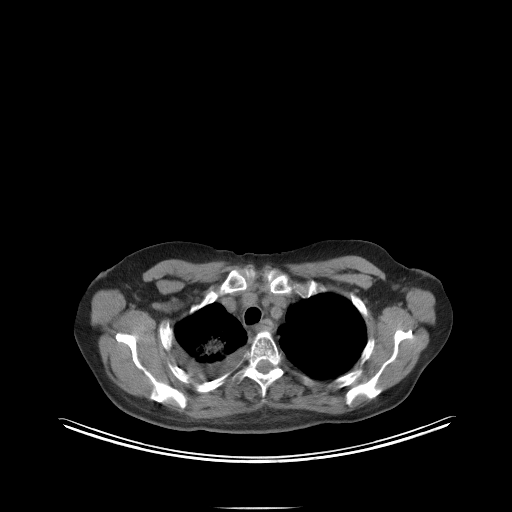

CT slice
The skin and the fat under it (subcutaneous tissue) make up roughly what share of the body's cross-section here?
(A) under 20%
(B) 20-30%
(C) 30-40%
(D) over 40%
Answer: (B) 20-30%
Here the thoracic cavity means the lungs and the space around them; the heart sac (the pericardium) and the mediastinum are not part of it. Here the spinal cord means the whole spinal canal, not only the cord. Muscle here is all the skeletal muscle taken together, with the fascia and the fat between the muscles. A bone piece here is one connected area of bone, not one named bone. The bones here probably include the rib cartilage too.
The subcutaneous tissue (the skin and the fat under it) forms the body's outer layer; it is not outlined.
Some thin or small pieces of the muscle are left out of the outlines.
{"mediastinum":[[[257,287],[276,295],[289,295],[295,293],[301,298],[299,301],[290,304],[286,310],[285,320],[277,330],[280,336],[278,345],[272,334],[267,330],[262,330],[256,333],[251,343],[248,343],[247,333],[242,324],[228,312],[223,305],[216,301],[220,296]]],"thoracic_cavity":[[[327,292],[343,296],[351,302],[365,323],[367,338],[358,359],[350,370],[332,379],[315,379],[303,373],[287,360],[284,353],[279,347],[281,336],[278,330],[279,327],[286,320],[286,313],[290,305],[295,304],[302,299],[307,299],[312,296]],[[214,302],[217,302],[223,306],[225,310],[241,324],[246,333],[247,343],[250,345],[249,348],[243,353],[241,359],[235,367],[217,377],[205,380],[200,377],[192,376],[190,373],[178,365],[176,358],[177,349],[174,326],[176,323],[188,315],[191,315]]],"bones":[{"outer":[[262,331],[267,331],[271,334],[289,366],[289,370],[268,386],[263,400],[260,385],[249,377],[245,377],[239,383],[229,377],[222,385],[207,392],[197,392],[195,390],[194,383],[212,380],[235,368],[242,359],[244,353],[250,348],[256,334]],"hole":[[261,360],[266,360],[267,361],[268,361],[271,364],[271,365],[272,366],[272,367],[268,371],[267,371],[266,372],[261,372],[260,371],[259,371],[257,369],[257,364]]},[[398,329],[411,329],[413,337],[398,344],[395,359],[383,369],[376,383],[382,391],[373,398],[359,394],[350,405],[346,404],[345,394],[352,386],[334,388],[329,386],[330,381],[357,368],[361,368],[362,373],[353,384],[367,381],[391,356],[394,334]],[[118,332],[133,334],[136,337],[136,351],[140,363],[158,381],[169,384],[181,391],[185,395],[186,406],[184,408],[181,408],[173,399],[169,399],[166,402],[160,403],[150,398],[153,384],[150,379],[134,363],[130,348],[125,343],[117,341],[115,335]],[[271,268],[276,268],[284,272],[288,275],[289,279],[292,282],[299,282],[305,284],[312,279],[316,281],[320,286],[324,286],[327,291],[312,295],[307,298],[302,298],[295,292],[289,294],[272,293],[269,290],[267,280],[261,275],[261,272],[263,270]],[[244,268],[254,268],[258,273],[255,278],[253,279],[248,279],[247,280],[248,285],[246,289],[220,295],[215,301],[209,303],[196,310],[191,314],[189,314],[188,312],[191,306],[193,304],[199,303],[209,290],[216,290],[231,270],[233,269],[242,270]],[[165,320],[168,320],[170,326],[172,328],[173,328],[173,333],[174,334],[174,340],[172,343],[172,346],[168,351],[163,347],[161,343],[161,341],[159,337],[159,333],[158,332],[158,328],[159,327],[159,325],[160,323],[162,321],[164,321]],[[351,292],[355,295],[358,296],[363,301],[363,302],[367,309],[367,311],[368,312],[368,313],[367,314],[367,322],[366,323],[366,324],[366,323],[365,322],[364,319],[362,317],[361,314],[354,306],[354,305],[348,297],[348,294]],[[169,362],[173,364],[176,364],[180,368],[184,370],[187,373],[190,374],[191,376],[190,377],[190,380],[191,381],[189,383],[185,383],[184,382],[182,382],[180,381],[172,373],[172,372],[169,369],[167,365],[167,364]],[[369,337],[373,337],[374,338],[374,346],[373,347],[373,350],[372,351],[370,356],[368,358],[368,359],[367,359],[362,364],[360,364],[358,362],[358,360],[359,359],[359,358],[360,357],[360,355],[361,354],[361,353],[367,342],[367,339]],[[300,375],[306,375],[308,377],[309,377],[310,378],[311,378],[315,382],[314,383],[314,384],[313,384],[312,385],[305,385],[302,382],[302,381],[301,380],[301,379],[300,378]]],"torso":[[[331,238],[363,239],[380,245],[398,262],[436,276],[450,300],[453,324],[447,341],[410,394],[392,409],[355,422],[323,423],[274,433],[175,430],[138,419],[115,406],[77,346],[73,321],[88,284],[102,270],[136,250],[182,240],[239,254],[272,253]]],"muscle":[[[343,255],[361,256],[386,274],[387,281],[366,291],[375,309],[403,302],[410,287],[435,297],[428,345],[412,370],[382,393],[378,380],[396,359],[399,344],[414,337],[412,329],[396,329],[390,356],[354,384],[363,369],[351,369],[368,360],[375,346],[375,338],[367,337],[364,301],[351,291],[347,297],[328,291],[312,278],[292,281],[276,267],[260,272],[268,291],[248,288],[248,280],[259,274],[254,267],[231,269],[185,317],[173,327],[162,320],[157,332],[166,351],[175,343],[177,364],[166,364],[171,373],[185,384],[191,377],[204,380],[193,383],[197,393],[213,391],[229,378],[239,384],[249,378],[263,401],[289,363],[304,374],[299,378],[305,386],[314,385],[313,379],[330,380],[334,389],[351,386],[345,404],[363,395],[373,399],[364,405],[339,414],[264,406],[189,420],[160,404],[173,400],[184,409],[186,395],[158,380],[138,357],[137,337],[121,331],[114,337],[151,382],[154,402],[125,392],[107,376],[90,323],[98,290],[116,288],[144,309],[164,297],[142,273],[165,259],[265,264]]],"spinal_cord":[[[261,360],[266,360],[267,361],[268,361],[271,364],[271,365],[272,366],[272,367],[268,371],[267,371],[266,372],[261,372],[260,371],[259,371],[257,369],[257,364]]]}